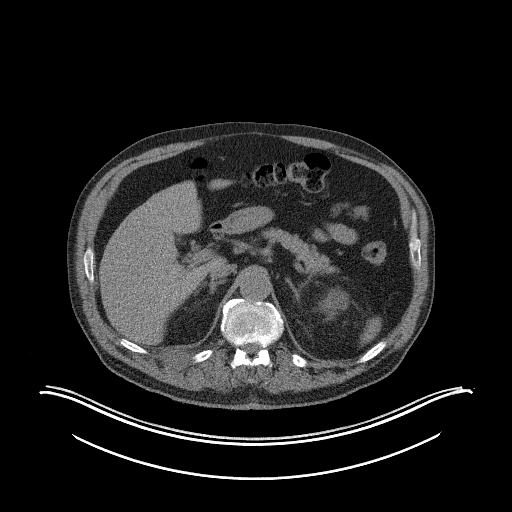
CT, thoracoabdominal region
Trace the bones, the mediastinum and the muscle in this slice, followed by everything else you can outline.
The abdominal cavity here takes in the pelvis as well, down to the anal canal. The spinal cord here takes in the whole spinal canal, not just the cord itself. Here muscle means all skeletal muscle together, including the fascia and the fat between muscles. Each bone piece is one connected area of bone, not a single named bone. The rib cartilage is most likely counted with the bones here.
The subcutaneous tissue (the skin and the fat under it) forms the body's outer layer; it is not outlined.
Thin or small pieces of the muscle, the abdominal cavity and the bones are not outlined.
{"bones":[{"outer":[[234,297],[255,301],[268,301],[271,302],[279,311],[283,320],[284,330],[280,337],[267,348],[272,362],[271,367],[263,364],[251,367],[241,364],[234,368],[231,367],[230,363],[233,358],[235,348],[222,335],[220,331],[220,323],[223,305],[226,301]],"hole":[[248,343],[256,343],[257,344],[258,344],[260,346],[260,349],[259,349],[257,351],[257,352],[255,354],[254,354],[253,355],[249,355],[243,349],[242,349],[242,348],[241,347],[244,344],[247,344]]},[[412,209],[413,209],[416,213],[416,217],[417,218],[417,223],[416,224],[417,236],[421,243],[420,244],[421,264],[420,265],[420,268],[418,271],[413,269],[411,263],[411,260],[410,259],[409,240],[411,236],[410,234],[410,224],[411,223],[411,210]],[[89,246],[90,247],[91,247],[93,249],[93,252],[94,253],[94,283],[93,283],[92,284],[89,282],[89,281],[86,276],[86,274],[85,273],[85,270],[84,269],[84,264],[83,263],[83,255],[85,252],[85,250],[86,249],[86,248]],[[381,340],[385,340],[386,341],[386,345],[384,347],[384,348],[379,353],[378,353],[374,357],[371,358],[369,360],[365,362],[361,362],[360,363],[357,363],[356,362],[356,360],[360,356],[361,356],[365,352],[366,352],[370,348],[371,348]],[[120,338],[124,338],[125,339],[128,340],[130,342],[132,342],[133,343],[134,343],[135,344],[144,348],[146,350],[147,350],[147,353],[140,353],[139,352],[135,352],[134,351],[132,351],[131,350],[126,348],[124,346],[123,346],[119,342],[119,339]],[[205,349],[212,349],[212,350],[213,351],[212,354],[208,358],[207,358],[206,359],[205,359],[202,361],[200,361],[199,362],[194,362],[194,361],[192,358],[193,355],[194,355],[196,353],[197,353],[198,352],[199,352],[202,350],[204,350]],[[293,353],[296,353],[297,354],[298,354],[299,355],[302,356],[304,358],[305,358],[307,360],[307,364],[306,365],[306,366],[305,366],[304,367],[300,367],[299,366],[297,366],[296,365],[295,365],[292,362],[292,358],[291,357],[291,355]]],"mediastinum":[[[251,271],[257,271],[263,274],[266,277],[267,283],[270,291],[270,297],[272,299],[272,301],[270,300],[269,301],[268,300],[261,300],[260,299],[256,299],[255,300],[250,298],[234,296],[236,294],[236,291],[238,289],[239,286],[238,284],[244,277]]],"muscle":[{"outer":[[250,131],[259,131],[273,134],[294,135],[295,136],[304,136],[305,137],[316,138],[321,140],[325,140],[334,144],[346,147],[362,153],[369,157],[375,163],[380,162],[395,169],[413,188],[425,208],[429,228],[428,231],[428,251],[427,252],[427,258],[428,259],[428,285],[425,292],[425,298],[420,307],[420,311],[416,321],[415,328],[411,336],[400,348],[390,353],[373,367],[371,367],[367,370],[345,380],[343,382],[333,385],[314,388],[306,391],[294,392],[291,390],[287,390],[282,391],[279,393],[270,393],[262,388],[255,387],[251,384],[249,384],[245,387],[234,388],[225,393],[216,391],[211,388],[206,388],[199,391],[184,389],[160,381],[152,376],[128,365],[121,360],[109,354],[102,348],[92,334],[90,326],[86,319],[85,314],[83,312],[82,299],[80,297],[75,272],[75,251],[76,250],[77,226],[81,211],[87,196],[103,175],[122,161],[130,157],[136,156],[155,147],[163,146],[171,143],[191,141],[211,136],[217,136],[222,134],[235,133],[236,132],[249,132]],"hole":[[242,135],[327,150],[376,171],[397,194],[409,240],[411,210],[415,211],[420,268],[413,271],[404,312],[383,338],[386,345],[369,360],[314,358],[300,367],[291,357],[298,351],[283,332],[267,348],[271,367],[241,364],[232,368],[235,348],[220,331],[203,347],[212,349],[212,354],[194,362],[193,355],[201,349],[167,346],[147,353],[132,351],[103,319],[83,255],[87,247],[94,248],[98,223],[121,181],[144,165]]}],"torso":[[[226,121],[296,123],[353,135],[388,155],[423,192],[435,225],[433,302],[419,335],[396,369],[382,380],[345,397],[309,406],[272,410],[212,408],[175,401],[145,390],[109,370],[94,351],[73,313],[67,282],[67,231],[80,191],[103,164],[143,137]]],"abdominal_cavity":[[[242,135],[327,150],[376,171],[397,194],[413,270],[411,296],[398,323],[361,355],[308,359],[299,354],[284,334],[267,277],[257,270],[248,272],[224,302],[219,332],[203,349],[146,349],[120,337],[103,319],[96,299],[94,239],[121,181],[144,165]]],"spinal_cord":[[[248,343],[256,343],[257,344],[258,344],[260,346],[260,349],[259,349],[257,351],[257,352],[255,354],[254,354],[253,355],[249,355],[243,349],[242,349],[242,348],[241,347],[244,344],[247,344]]]}